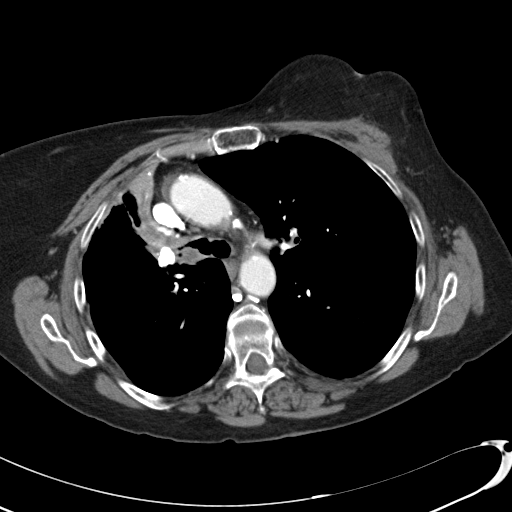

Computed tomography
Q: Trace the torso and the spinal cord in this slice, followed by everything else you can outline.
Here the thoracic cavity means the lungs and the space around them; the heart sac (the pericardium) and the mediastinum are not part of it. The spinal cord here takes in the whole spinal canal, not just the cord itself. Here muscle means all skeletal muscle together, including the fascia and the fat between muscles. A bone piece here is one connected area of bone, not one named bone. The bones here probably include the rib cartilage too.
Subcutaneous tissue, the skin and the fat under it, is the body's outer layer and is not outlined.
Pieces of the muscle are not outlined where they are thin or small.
A: The torso is outlined by 309,53 337,56 361,73 395,71 414,87 438,150 480,197 511,252 511,335 447,379 377,415 334,429 248,443 230,439 219,443 177,442 110,426 56,399 0,356 0,153 97,124 200,114 241,103 286,63. The spinal cord is outlined by 253,353 254,353 255,354 257,354 258,355 261,356 263,358 263,359 264,360 264,361 265,362 265,363 267,366 267,368 263,373 252,373 251,372 250,372 247,369 247,362 248,361 248,360 249,359 250,356. The thoracic cavity appears in 2 outlined pieces: piece 1: 289,134 327,139 361,159 400,201 416,243 414,297 403,329 375,365 352,377 334,378 316,373 302,365 286,349 268,311 268,298 277,282 270,257 276,242 266,235 254,210 199,165 202,158 253,150 268,139; piece 2: 156,161 160,161 151,174 153,184 150,217 157,225 179,235 206,238 223,264 233,301 232,310 226,321 220,367 199,387 175,396 163,396 137,386 130,381 107,351 95,331 82,273 84,253 108,204 140,170. The bones appear in 10 outlined pieces: piece 1: 252,299 257,299 256,303 265,309 283,346 294,358 286,359 293,374 276,380 264,390 262,397 264,412 260,411 255,394 245,386 233,385 223,389 222,383 216,381 207,387 203,385 221,367 230,313 251,302, around holes outlined by 253,353 254,353 255,354 257,354 258,355 261,356 263,358 263,359 264,360 264,361 265,362 265,363 267,366 267,368 263,373 252,373 251,372 250,372 247,369 247,362 248,361 248,360 249,359 250,356 and by 223,368 226,368 226,370 225,371 225,372 223,374 223,375 221,377 220,377 219,378 219,379 217,381 217,376 219,374 219,373 221,371 221,369 222,369; piece 2: 244,124 256,126 267,136 267,140 260,143 253,149 238,149 222,154 177,154 175,156 170,157 166,162 156,160 140,169 139,171 135,170 136,167 147,159 158,148 164,148 183,142 205,139 210,137 218,128; piece 3: 450,271 454,272 457,277 455,296 441,309 433,330 417,341 411,339 400,356 387,370 371,379 368,379 368,377 380,367 377,364 378,362 392,347 407,326 411,325 413,333 426,329 430,326 437,310 444,279; piece 4: 45,313 48,313 53,317 61,334 69,341 73,350 82,358 96,357 84,330 86,326 94,330 106,349 107,352 104,356 104,360 99,361 97,365 92,367 75,360 63,342 52,341 43,331 40,325 40,318; piece 5: 117,378 120,378 125,381 130,382 137,387 147,392 162,396 164,397 164,399 167,402 172,402 174,403 174,405 169,409 164,409 163,410 158,410 157,409 150,408 134,399 122,388 121,388 117,383; piece 6: 103,201 109,201 109,202 107,204 104,211 102,213 95,227 95,229 88,243 87,248 85,250 85,251 83,251 80,247 80,242 81,241 81,237 83,233 83,230 87,222 90,219 92,215 95,212 98,206; piece 7: 362,158 367,158 369,160 370,160 371,161 376,163 385,170 385,171 393,179 393,180 395,182 395,183 399,188 399,189 402,194 402,198 400,200 393,193 393,192 390,189 390,188 385,183 385,182 362,159; piece 8: 77,276 82,277 83,284 84,285 84,290 85,291 85,298 86,299 86,302 88,306 88,308 86,306 84,308 82,313 80,313 77,308 77,306 74,299 74,295 73,294 73,284 74,283 74,279 75,277; piece 9: 421,261 423,261 424,262 424,263 425,264 425,288 424,289 424,293 423,294 423,296 422,297 422,298 420,300 420,301 419,301 417,299 417,298 415,296 415,273 416,272 416,266; piece 10: 411,211 413,211 416,213 421,223 421,226 422,227 422,230 423,231 423,234 424,235 424,244 422,247 420,247 418,245 417,245 417,243 415,239 415,236 414,235 413,230 411,227 411,224 409,221 409,213. The muscle is outlined by 351,118 389,136 397,173 422,205 437,251 446,252 452,229 462,225 482,268 481,313 470,313 455,334 425,341 409,370 335,413 306,419 268,416 259,426 240,427 210,415 131,409 73,377 52,377 36,361 15,323 12,292 32,274 43,277 50,289 58,287 70,238 52,233 82,193 134,147 214,127 205,138 155,149 86,222 79,242 82,276 74,277 72,294 78,312 89,311 94,329 86,325 83,330 95,357 80,356 48,312 39,318 42,331 90,368 108,353 129,380 117,377 119,387 158,411 175,405 165,397 216,382 223,390 249,389 264,413 265,390 294,374 287,359 334,379 352,378 376,365 368,380 387,371 411,340 434,330 442,309 456,296 457,274 445,275 429,326 414,332 411,324 404,328 414,298 420,302 425,293 426,264 416,265 425,235 417,213 408,215 394,179 376,162 327,138 308,133 268,138 244,123. The mediastinum is outlined by 187,154 214,154 202,157 198,161 199,167 247,204 258,216 265,235 275,242 269,257 276,282 267,298 268,313 257,303 257,298 233,309 228,274 206,237 179,234 157,224 151,217 152,174 155,167 172,157.